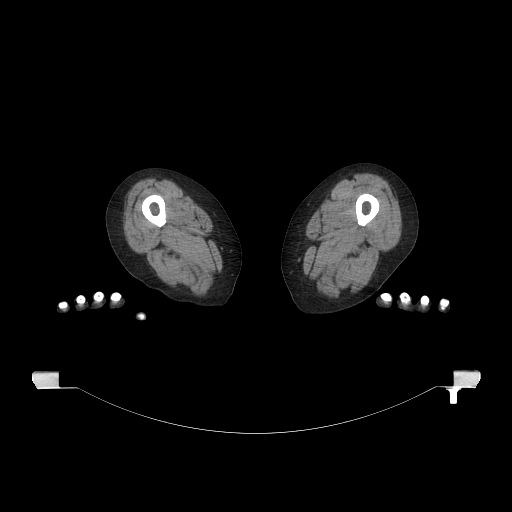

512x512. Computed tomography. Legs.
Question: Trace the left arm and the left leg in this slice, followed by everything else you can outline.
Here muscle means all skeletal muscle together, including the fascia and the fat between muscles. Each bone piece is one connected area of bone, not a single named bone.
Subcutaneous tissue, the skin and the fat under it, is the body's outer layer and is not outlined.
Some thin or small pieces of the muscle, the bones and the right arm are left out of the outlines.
Answer: The left arm appears in 2 outlined pieces: piece 1: (403, 292) (409, 295) (412, 302) (416, 302) (422, 296) (426, 296) (431, 301) (429, 313) (427, 314) (411, 313) (397, 309) (394, 307) (391, 308) (379, 307) (375, 302) (375, 297) (376, 296) (387, 293) (390, 295) (391, 302) (394, 305) (396, 303) (396, 300) (398, 296); piece 2: (441, 300) (446, 300) (448, 302) (448, 303) (449, 304) (449, 305) (450, 306) (450, 308) (449, 309) (449, 311) (446, 314) (443, 314) (442, 313) (440, 313) (438, 311) (438, 305) (440, 303) (440, 301). The left leg is outlined by (356, 162) (372, 162) (385, 166) (396, 173) (405, 182) (410, 189) (417, 205) (419, 217) (419, 229) (417, 239) (409, 255) (381, 287) (365, 301) (348, 309) (331, 314) (308, 315) (300, 311) (294, 304) (281, 272) (280, 255) (285, 232) (295, 209) (316, 185) (337, 169). The right leg is outlined by (146, 167) (168, 168) (194, 179) (207, 188) (217, 198) (230, 218) (241, 244) (242, 263) (233, 292) (224, 305) (220, 307) (200, 307) (187, 302) (171, 300) (159, 291) (147, 287) (130, 275) (114, 254) (108, 239) (105, 225) (105, 211) (108, 201) (123, 179) (131, 173). The muscle appears in 2 outlined pieces: piece 1: (364, 172) (374, 173) (384, 178) (389, 183) (394, 195) (397, 198) (402, 218) (400, 240) (394, 248) (381, 256) (369, 283) (364, 288) (347, 297) (331, 300) (319, 296) (314, 286) (303, 273) (301, 264) (305, 228) (313, 213) (330, 193) (331, 189) (337, 182) (355, 173) with a hole at (366, 192) (367, 193) (370, 193) (372, 194) (378, 199) (378, 201) (379, 202) (379, 210) (376, 215) (368, 223) (367, 223) (364, 226) (362, 226) (361, 225) (359, 225) (357, 222) (356, 214) (355, 213) (355, 202) (356, 201) (357, 197) (360, 194) (362, 193) (365, 193); piece 2: (150, 177) (165, 178) (173, 181) (186, 195) (188, 195) (214, 219) (214, 226) (218, 235) (224, 262) (221, 273) (215, 277) (215, 282) (204, 296) (195, 296) (185, 291) (172, 288) (161, 281) (142, 257) (136, 254) (127, 244) (123, 231) (123, 211) (126, 194) (137, 181); inner edge: (151, 194) (159, 194) (161, 195) (163, 197) (163, 199) (165, 202) (165, 211) (166, 212) (166, 221) (165, 223) (162, 226) (160, 227) (150, 222) (144, 216) (141, 210) (141, 204) (142, 203) (142, 201) (143, 199) (148, 195) (150, 195). The bones appear in 9 outlined pieces: piece 1: (151, 194) (159, 194) (161, 195) (163, 197) (163, 199) (165, 202) (165, 211) (166, 212) (166, 221) (165, 223) (162, 226) (160, 227) (150, 222) (144, 216) (141, 210) (141, 204) (142, 203) (142, 201) (143, 199) (148, 195) (150, 195); piece 2: (366, 192) (367, 193) (370, 193) (372, 194) (378, 199) (378, 201) (379, 202) (379, 210) (376, 215) (368, 223) (367, 223) (364, 226) (362, 226) (361, 225) (359, 225) (357, 222) (356, 214) (355, 213) (355, 202) (356, 201) (357, 197) (360, 194) (362, 193) (365, 193); piece 3: (403, 292) (404, 292) (405, 293) (406, 293) (407, 294) (408, 294) (409, 295) (409, 296) (411, 299) (411, 301) (410, 302) (410, 303) (407, 305) (404, 305) (401, 302) (401, 300) (400, 299) (400, 297) (399, 296) (400, 295) (400, 294) (401, 294); piece 4: (96, 292) (101, 292) (103, 294) (103, 298) (102, 299) (102, 300) (100, 302) (95, 302) (94, 301) (94, 300) (93, 299) (93, 296) (94, 295) (94, 294); piece 5: (113, 293) (119, 293) (121, 295) (121, 296) (120, 297) (120, 299) (117, 302) (113, 302) (110, 299) (110, 297) (111, 296) (111, 295); piece 6: (422, 296) (426, 296) (429, 299) (429, 301) (428, 302) (428, 304) (426, 306) (425, 306) (424, 307) (423, 307) (421, 305) (421, 304) (420, 303) (420, 299) (421, 298) (421, 297); piece 7: (384, 293) (387, 293) (388, 294) (389, 294) (390, 295) (390, 296) (391, 297) (391, 301) (390, 301) (389, 302) (385, 302) (382, 299) (382, 298) (381, 297) (381, 296) (380, 295) (381, 294) (383, 294); piece 8: (80, 295) (81, 295) (82, 296) (83, 296) (85, 298) (85, 301) (84, 302) (84, 303) (83, 304) (82, 304) (81, 305) (80, 305) (79, 304) (78, 304) (77, 303) (77, 301) (76, 300) (76, 298) (78, 296) (79, 296); piece 9: (441, 300) (446, 300) (448, 302) (448, 304) (446, 306) (446, 307) (444, 309) (441, 309) (440, 308) (440, 301). The right arm appears in 2 outlined pieces: piece 1: (96, 292) (101, 292) (106, 298) (107, 303) (113, 293) (119, 293) (124, 296) (125, 302) (121, 307) (115, 309) (109, 309) (107, 305) (108, 304) (106, 303) (101, 309) (85, 310) (78, 312) (75, 310) (74, 307) (74, 299) (81, 295) (90, 302) (93, 299) (93, 296); piece 2: (62, 302) (65, 302) (67, 304) (67, 305) (68, 306) (68, 307) (69, 308) (69, 311) (67, 313) (65, 313) (64, 314) (60, 314) (59, 313) (58, 313) (56, 311) (56, 308) (57, 307) (57, 306) (58, 306) (59, 305) (59, 304) (60, 303) (61, 303).